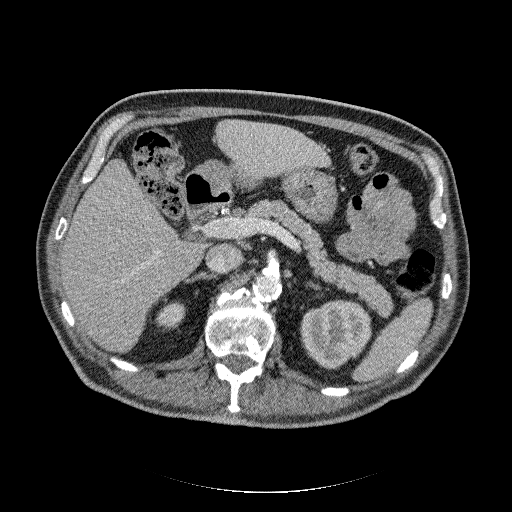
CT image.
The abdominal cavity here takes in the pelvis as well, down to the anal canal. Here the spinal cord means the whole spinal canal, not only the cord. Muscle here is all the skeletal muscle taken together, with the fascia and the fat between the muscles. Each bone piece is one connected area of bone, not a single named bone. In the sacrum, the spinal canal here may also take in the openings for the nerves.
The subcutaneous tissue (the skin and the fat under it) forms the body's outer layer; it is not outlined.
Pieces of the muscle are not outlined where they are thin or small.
The spinal cord is outlined by 229,354 233,354 234,355 237,355 238,356 239,355 243,355 244,356 247,356 254,362 254,364 253,365 252,365 250,367 249,367 248,368 247,368 238,373 233,372 229,368 228,368 222,362 222,358. The bones appear in 9 outlined pieces: piece 1: 242,287 257,296 265,305 275,321 277,331 266,354 262,374 251,382 240,385 237,398 240,410 233,413 226,408 230,401 230,384 216,375 214,370 216,358 206,346 204,326 215,307 216,296 222,290 233,292; inner edge: 229,354 233,354 234,355 237,355 238,356 239,355 243,355 244,356 247,356 254,362 254,364 253,365 252,365 250,367 249,367 248,368 247,368 238,373 233,372 229,368 228,368 222,362 222,358; piece 2: 129,112 131,112 133,114 133,117 118,129 110,138 106,147 103,162 97,170 94,177 89,182 85,184 81,183 80,178 82,175 82,172 91,158 92,153 96,146 100,134 110,122 114,119 120,117 124,113; piece 3: 423,154 430,155 434,158 439,168 439,172 442,176 443,193 441,197 441,207 446,216 446,222 442,229 439,229 433,223 431,219 429,204 430,200 433,196 434,182 433,181 433,177 428,168 428,166 425,162; piece 4: 327,386 334,386 335,387 341,387 342,386 347,386 349,388 349,392 347,394 346,394 345,395 343,395 342,396 330,396 329,395 325,395 324,394 323,394 320,391 320,390 322,388 323,388 324,387 326,387; piece 5: 415,349 417,349 419,352 418,353 417,358 416,359 416,360 414,362 414,363 410,367 409,367 407,369 404,370 402,372 397,373 396,372 396,369 398,367 398,366 406,358 406,357 413,350 414,350; piece 6: 111,356 114,356 117,358 119,358 120,359 125,360 128,362 130,362 134,365 135,365 137,367 138,367 139,368 139,370 136,372 132,372 131,371 127,371 126,370 124,370 123,369 116,366 110,360 110,357; piece 7: 446,272 448,272 450,275 450,278 451,279 451,291 449,294 449,296 448,297 448,298 447,299 444,299 441,297 441,289 442,288 442,277 443,276 443,274; piece 8: 62,216 65,217 68,220 68,224 67,225 67,228 65,230 65,232 64,233 64,234 63,235 62,238 60,240 56,240 55,239 55,230 56,229 56,227 57,226 57,225 59,222 59,220 60,219 60,218; piece 9: 63,300 65,300 66,301 67,304 69,306 69,308 71,311 71,313 74,318 75,323 73,326 71,326 70,325 69,325 69,324 64,318 64,317 62,314 62,312 61,311 61,306 60,305 60,304. The torso is outlined by 189,88 276,92 361,106 413,124 431,135 445,150 455,175 468,236 470,291 453,342 413,392 342,423 266,429 148,413 96,392 80,380 43,312 38,295 35,242 47,195 66,159 91,123 106,108 140,92. The abdominal cavity is outlined by 228,115 285,118 361,136 415,164 428,181 429,215 442,240 440,297 431,327 395,370 339,386 288,367 276,321 244,286 222,289 193,349 169,361 135,363 111,355 76,323 60,279 59,254 86,184 134,130. The muscle is outlined by 192,105 341,118 427,145 438,154 448,179 457,242 457,292 446,331 407,376 333,412 261,417 240,411 239,389 263,374 277,332 281,336 281,358 287,367 327,385 319,390 323,395 342,397 350,392 350,385 410,368 420,352 416,348 434,323 440,298 447,300 452,291 450,273 446,271 442,276 440,230 445,227 447,216 442,207 444,180 433,156 422,154 433,182 430,198 429,181 420,168 371,139 271,115 228,114 140,127 124,135 102,165 111,138 134,117 131,111 124,112 99,134 81,172 79,181 85,185 71,215 69,219 62,215 54,230 54,239 61,240 58,265 65,298 59,305 68,325 77,324 95,346 110,355 109,360 116,367 132,373 140,370 133,363 169,362 186,356 203,335 205,346 215,358 215,375 229,384 226,409 199,411 139,397 116,384 73,345 53,305 46,262 47,235 68,181 98,128 110,117 137,108.